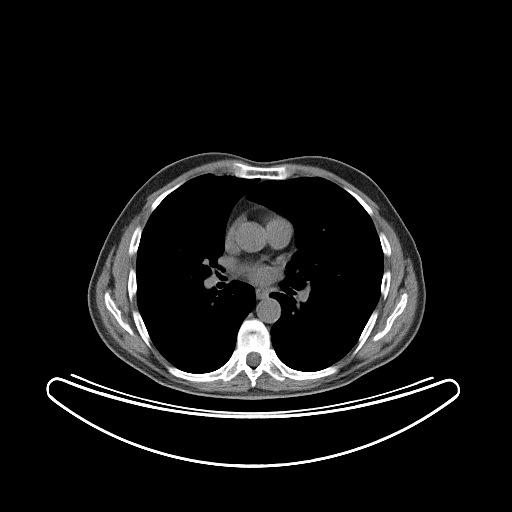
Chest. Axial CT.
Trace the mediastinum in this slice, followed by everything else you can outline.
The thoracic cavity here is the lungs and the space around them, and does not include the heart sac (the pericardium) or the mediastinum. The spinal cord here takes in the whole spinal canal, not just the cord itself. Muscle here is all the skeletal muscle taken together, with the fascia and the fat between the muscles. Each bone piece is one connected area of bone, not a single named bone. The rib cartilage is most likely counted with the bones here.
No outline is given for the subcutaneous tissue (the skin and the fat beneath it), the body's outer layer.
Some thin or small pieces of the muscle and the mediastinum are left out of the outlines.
{"mediastinum":[[[224,251],[223,263],[232,276],[260,286],[269,286],[275,283],[280,279],[285,268],[284,276],[279,284],[281,291],[270,293],[270,296],[279,303],[281,313],[269,330],[261,320],[245,318],[255,307],[255,290],[244,281],[237,279],[229,280],[222,263]],[[244,195],[248,200],[252,202],[257,203],[260,205],[262,205],[270,209],[268,209],[265,207],[263,207],[259,205],[254,205],[246,209],[244,209],[231,220],[227,226],[226,231],[227,221],[230,215],[230,213],[234,205],[238,201],[238,200]]],"pericardium":[[[254,206],[259,206],[265,208],[275,212],[281,216],[283,216],[291,223],[293,227],[293,246],[295,249],[287,261],[287,263],[285,265],[279,279],[269,285],[260,285],[248,281],[246,279],[236,277],[228,271],[224,263],[225,238],[229,224],[242,211]]],"spinal_cord":[[[251,352],[256,352],[257,353],[258,353],[259,354],[259,355],[260,356],[260,361],[259,362],[259,363],[257,365],[256,365],[255,366],[251,366],[250,365],[249,365],[247,363],[247,361],[246,360],[246,358],[247,357],[247,355],[249,353],[250,353]]],"bones":[{"outer":[[245,319],[257,319],[264,324],[276,355],[290,368],[312,372],[336,364],[338,370],[318,378],[286,377],[281,381],[263,371],[253,387],[244,371],[227,381],[192,381],[173,375],[167,370],[167,365],[195,374],[211,372],[222,366],[235,349],[237,334]],"hole":[[251,352],[256,352],[257,353],[258,353],[259,354],[259,355],[260,356],[260,361],[259,362],[259,363],[257,365],[256,365],[255,366],[251,366],[250,365],[249,365],[247,363],[247,361],[246,360],[246,358],[247,357],[247,355],[249,353],[250,353]]},[[235,161],[248,164],[252,166],[257,166],[258,167],[271,167],[272,166],[281,166],[282,165],[285,165],[288,168],[291,168],[293,170],[293,173],[290,177],[284,179],[266,179],[265,178],[245,178],[244,177],[239,177],[232,174],[229,170],[230,165]],[[403,293],[406,293],[408,296],[407,297],[407,302],[403,311],[395,318],[391,325],[390,329],[381,338],[375,341],[373,340],[373,337],[379,331],[382,330],[384,328],[386,324],[386,320],[388,316],[393,311],[396,304],[400,300],[401,295]],[[107,291],[110,297],[113,300],[116,306],[120,310],[121,312],[121,317],[122,319],[128,324],[128,325],[132,330],[133,332],[133,335],[131,335],[119,324],[115,317],[108,310],[108,309],[106,307],[105,305],[105,301],[104,300],[104,294],[105,292]],[[375,309],[377,310],[377,312],[378,313],[377,314],[377,317],[376,318],[375,323],[369,335],[367,337],[366,340],[362,346],[358,350],[358,351],[354,355],[353,355],[352,353],[358,342],[358,339],[366,323],[368,321],[372,312]],[[133,310],[137,310],[139,312],[142,318],[142,320],[144,323],[144,325],[147,330],[147,332],[149,335],[149,337],[151,341],[150,343],[151,347],[150,348],[145,343],[144,340],[140,335],[136,327],[136,325],[135,324],[135,322],[132,315],[132,311]],[[138,225],[141,226],[143,228],[141,232],[141,235],[140,236],[140,239],[139,240],[139,243],[138,244],[137,251],[135,255],[130,255],[129,254],[129,245],[130,244],[131,237],[132,236],[132,234],[135,228]],[[131,268],[134,268],[135,269],[135,278],[136,279],[136,294],[135,295],[135,296],[134,296],[132,298],[132,300],[130,300],[130,299],[129,298],[129,295],[128,294],[128,276],[129,275],[129,271],[130,270],[130,269]],[[181,181],[184,181],[184,182],[173,191],[169,193],[157,205],[157,206],[153,210],[153,211],[151,212],[150,211],[150,208],[151,207],[151,205],[152,203],[155,200],[155,199],[164,191],[169,189],[171,187],[172,187],[174,185],[175,185],[177,183]],[[385,270],[389,270],[389,271],[390,272],[390,283],[389,284],[389,288],[388,289],[388,292],[387,293],[387,295],[386,296],[386,297],[385,298],[385,299],[384,299],[383,298],[383,297],[381,295],[381,283],[382,282],[382,277],[383,276],[383,273]],[[379,232],[382,232],[384,233],[384,234],[386,236],[389,242],[389,245],[391,249],[391,253],[389,256],[386,256],[384,255],[383,253],[383,251],[382,250],[382,247],[381,246],[381,243],[380,242],[380,239],[379,238],[379,235],[378,234]],[[343,187],[347,187],[349,189],[350,189],[352,191],[356,193],[371,208],[372,210],[372,212],[373,213],[372,215],[371,216],[366,211],[366,210],[363,207],[363,206],[351,194],[350,194],[347,191],[346,191],[343,188]]],"torso":[[[209,151],[232,153],[256,161],[303,155],[327,156],[364,172],[381,188],[416,244],[426,289],[425,310],[419,329],[397,357],[331,390],[294,397],[245,400],[200,396],[166,387],[108,349],[92,323],[87,288],[110,228],[132,195],[154,173],[176,160]]],"muscle":[{"outer":[[282,164],[302,164],[325,169],[344,179],[369,197],[378,206],[380,215],[393,228],[398,237],[403,256],[406,259],[409,258],[411,260],[417,281],[418,296],[417,306],[411,325],[402,339],[386,354],[360,366],[350,373],[315,387],[275,391],[254,387],[257,378],[263,372],[281,382],[286,378],[293,380],[318,379],[336,373],[340,368],[336,363],[354,346],[351,354],[354,356],[359,351],[376,323],[379,313],[375,308],[380,296],[385,300],[388,295],[391,283],[391,272],[389,269],[384,270],[384,256],[389,257],[392,253],[387,236],[382,231],[378,232],[375,227],[371,217],[374,213],[372,208],[356,192],[347,186],[341,187],[320,176],[292,176],[294,170],[291,167]],"hole":[[403,293],[406,293],[408,296],[407,297],[407,302],[403,311],[395,318],[391,325],[390,329],[381,338],[375,341],[373,340],[373,337],[379,331],[382,330],[384,328],[386,324],[386,320],[388,316],[393,311],[396,304],[400,300],[401,295]]},{"outer":[[223,159],[237,160],[233,161],[229,165],[228,170],[231,174],[204,173],[186,181],[181,180],[160,193],[151,203],[149,208],[151,213],[144,226],[143,227],[138,224],[134,228],[130,237],[128,254],[136,257],[135,268],[131,267],[128,271],[127,294],[130,301],[136,297],[137,309],[133,309],[131,311],[131,315],[139,335],[150,349],[152,347],[152,343],[170,364],[165,366],[166,370],[170,374],[177,378],[192,382],[212,382],[217,380],[227,382],[239,373],[244,372],[250,381],[251,388],[246,391],[239,392],[202,390],[171,380],[154,370],[122,348],[108,333],[100,317],[95,298],[96,283],[109,253],[115,244],[119,244],[125,228],[141,210],[148,196],[194,167]],"hole":[[107,291],[110,297],[113,300],[116,306],[120,310],[121,312],[121,317],[122,319],[128,324],[128,325],[132,330],[133,332],[133,335],[131,335],[119,324],[115,317],[108,310],[108,309],[106,307],[105,305],[105,301],[104,300],[104,294],[105,292]]}],"thoracic_cavity":[[[204,174],[320,177],[370,216],[380,295],[335,363],[295,369],[272,346],[282,308],[271,293],[282,291],[297,250],[294,227],[244,194],[227,218],[221,263],[230,282],[253,288],[255,303],[230,356],[195,373],[154,345],[136,296],[142,232],[169,194]]]}